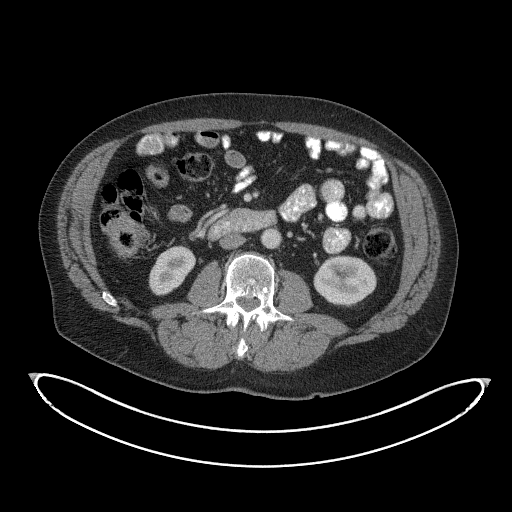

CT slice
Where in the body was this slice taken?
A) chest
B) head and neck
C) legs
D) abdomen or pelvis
Answer: D) abdomen or pelvis
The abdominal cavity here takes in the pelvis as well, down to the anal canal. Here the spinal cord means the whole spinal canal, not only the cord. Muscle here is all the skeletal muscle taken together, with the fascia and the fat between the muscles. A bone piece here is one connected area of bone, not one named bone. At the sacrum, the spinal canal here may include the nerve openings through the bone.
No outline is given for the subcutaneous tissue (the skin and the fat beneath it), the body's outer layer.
{"abdominal_cavity":[[[350,327],[391,299],[403,256],[391,175],[377,151],[251,125],[142,133],[113,154],[90,219],[98,269],[113,295],[144,311],[187,301],[204,265],[213,259],[225,264],[249,251],[267,258],[275,274],[281,267],[304,278],[313,301],[308,311],[332,315]]],"bones":[{"outer":[[243,332],[252,320],[261,331],[278,320],[291,322],[294,320],[291,316],[279,311],[273,304],[276,285],[273,266],[262,256],[249,252],[234,257],[226,264],[223,281],[226,286],[224,299],[216,305],[193,313],[224,314],[225,323],[233,327],[240,320]],"hole":[[247,311],[248,311],[249,310],[251,310],[255,307],[256,307],[259,305],[259,301],[258,300],[258,299],[257,299],[256,298],[246,298],[245,297],[239,297],[238,298],[237,298],[237,302],[238,303],[238,304],[240,306],[241,306],[245,310],[246,310]]},[[238,359],[241,359],[243,357],[243,356],[244,355],[244,353],[247,350],[247,345],[246,344],[246,343],[245,342],[245,340],[243,337],[241,337],[240,338],[240,339],[239,340],[239,342],[238,343],[238,345],[236,348],[236,357]],[[113,306],[116,306],[117,305],[117,301],[115,299],[115,298],[110,293],[110,292],[109,291],[108,291],[107,290],[104,290],[102,292],[102,297],[103,298],[103,299],[108,304],[109,304],[110,305],[112,305]]],"torso":[[[285,400],[324,397],[374,383],[423,358],[439,339],[453,296],[459,243],[448,195],[434,169],[403,138],[370,115],[336,101],[304,95],[234,91],[184,95],[135,108],[94,129],[61,161],[39,209],[39,245],[58,334],[110,364],[174,389],[239,391]]],"spinal_cord":[[[247,311],[248,311],[249,310],[251,310],[255,307],[256,307],[259,305],[259,301],[258,300],[258,299],[257,299],[256,298],[246,298],[245,297],[239,297],[238,298],[237,298],[237,302],[238,303],[238,304],[240,306],[241,306],[245,310],[246,310]]],"muscle":[{"outer":[[274,374],[283,374],[305,369],[318,361],[331,351],[333,351],[343,345],[355,344],[371,340],[379,336],[382,333],[398,329],[405,325],[408,318],[413,315],[420,308],[421,305],[428,296],[435,280],[438,266],[438,258],[440,254],[440,246],[441,245],[436,212],[428,188],[420,175],[411,166],[390,155],[377,144],[363,137],[317,124],[310,124],[304,122],[292,122],[291,121],[268,121],[267,120],[242,121],[230,118],[227,119],[226,118],[214,118],[213,117],[186,118],[179,120],[165,121],[148,125],[140,129],[137,129],[121,138],[108,141],[96,147],[85,155],[75,166],[63,188],[58,205],[58,211],[56,215],[57,217],[57,222],[56,223],[57,225],[57,240],[59,244],[62,263],[67,271],[68,277],[73,283],[74,286],[80,291],[80,293],[84,299],[92,307],[110,313],[114,319],[128,325],[139,327],[143,329],[150,335],[152,342],[166,356],[173,359],[176,362],[185,367],[203,371],[211,371],[225,366],[232,361],[236,362],[242,361],[247,363],[255,369],[263,372],[268,372]],"holes":[[[243,332],[252,320],[261,331],[294,320],[273,304],[281,267],[310,287],[308,311],[350,327],[391,299],[403,239],[377,151],[251,125],[142,133],[113,154],[90,219],[103,299],[144,311],[187,301],[216,259],[225,297],[193,313],[240,320]],[[238,359],[241,359],[243,357],[243,356],[244,355],[244,353],[247,350],[247,345],[246,344],[246,343],[245,342],[245,340],[243,337],[241,337],[240,338],[240,339],[239,340],[239,342],[238,343],[238,345],[236,348],[236,357]]]}]}